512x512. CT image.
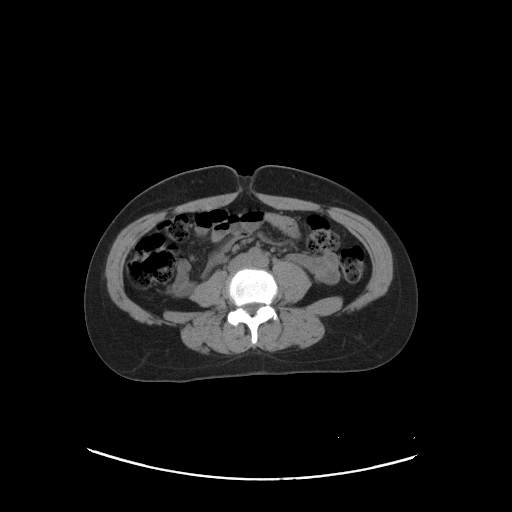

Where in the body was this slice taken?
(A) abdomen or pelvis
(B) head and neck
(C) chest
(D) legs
Answer: (A) abdomen or pelvis
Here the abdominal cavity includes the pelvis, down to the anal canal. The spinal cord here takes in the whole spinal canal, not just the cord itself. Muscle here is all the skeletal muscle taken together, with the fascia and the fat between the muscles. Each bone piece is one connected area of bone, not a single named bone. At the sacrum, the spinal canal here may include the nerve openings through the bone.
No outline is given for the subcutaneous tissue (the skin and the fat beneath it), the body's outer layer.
{"torso":[[[217,164],[231,166],[240,174],[249,174],[267,164],[309,171],[349,188],[387,220],[408,252],[418,288],[413,331],[394,358],[364,371],[248,375],[187,382],[132,380],[102,361],[89,339],[83,308],[87,269],[100,237],[117,213],[147,187],[183,171]]],"abdominal_cavity":[[[241,196],[276,209],[316,211],[342,225],[369,255],[366,285],[347,303],[331,295],[299,305],[312,280],[299,265],[278,258],[270,271],[242,267],[230,276],[216,270],[187,298],[203,310],[157,315],[133,301],[124,263],[141,237],[173,214],[222,207]]],"spinal_cord":[[[249,303],[260,303],[261,304],[262,304],[262,305],[261,306],[260,306],[257,309],[257,310],[255,312],[255,313],[253,315],[251,315],[250,314],[249,314],[243,308],[243,305],[244,305],[245,304],[248,304]]],"muscle":[{"outer":[[240,189],[243,190],[254,190],[260,193],[264,193],[270,195],[292,197],[293,198],[302,199],[307,201],[313,201],[314,202],[318,202],[319,203],[322,203],[331,206],[340,207],[349,210],[354,213],[356,213],[369,220],[382,234],[386,240],[392,254],[392,259],[393,260],[393,277],[386,292],[386,294],[368,306],[353,311],[351,313],[347,313],[343,315],[333,317],[325,327],[325,334],[317,344],[315,344],[302,351],[289,351],[288,352],[276,352],[275,351],[274,352],[269,352],[268,351],[261,350],[258,348],[256,349],[251,348],[250,350],[229,357],[204,355],[198,352],[196,352],[188,348],[182,342],[181,339],[174,331],[170,328],[165,326],[159,326],[158,325],[152,325],[151,324],[149,325],[146,323],[142,323],[127,315],[118,308],[111,299],[107,290],[107,286],[105,280],[105,264],[106,263],[107,256],[109,253],[110,248],[119,232],[128,224],[136,219],[145,215],[148,212],[151,212],[155,210],[165,208],[172,205],[175,205],[184,202],[188,202],[199,198],[230,193],[231,192],[237,191]],"hole":[[241,196],[342,225],[369,255],[366,285],[347,303],[331,295],[299,305],[312,280],[299,265],[274,259],[278,320],[261,323],[254,344],[245,323],[227,321],[235,305],[224,269],[188,296],[203,310],[157,315],[133,301],[124,263],[141,237],[173,214]]}],"bones":[{"outer":[[242,268],[265,269],[273,275],[277,284],[277,293],[271,305],[276,311],[278,320],[270,318],[261,323],[257,328],[257,340],[254,344],[251,342],[251,332],[245,323],[232,325],[227,321],[227,314],[235,308],[234,302],[229,296],[227,284],[230,277]],"hole":[[249,303],[260,303],[261,304],[262,304],[262,305],[261,306],[260,306],[257,309],[257,310],[255,312],[255,313],[253,315],[251,315],[250,314],[249,314],[243,308],[243,305],[244,305],[245,304],[248,304]]}]}